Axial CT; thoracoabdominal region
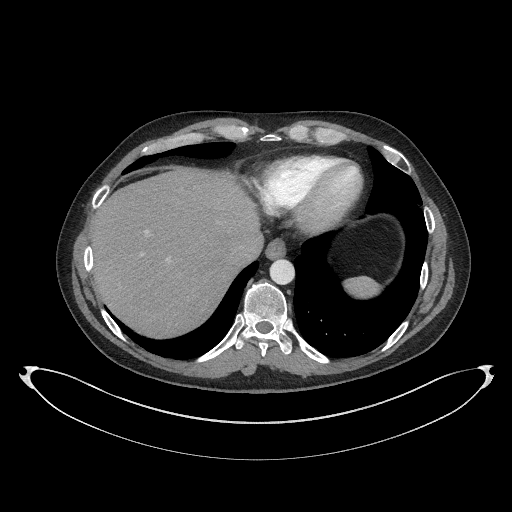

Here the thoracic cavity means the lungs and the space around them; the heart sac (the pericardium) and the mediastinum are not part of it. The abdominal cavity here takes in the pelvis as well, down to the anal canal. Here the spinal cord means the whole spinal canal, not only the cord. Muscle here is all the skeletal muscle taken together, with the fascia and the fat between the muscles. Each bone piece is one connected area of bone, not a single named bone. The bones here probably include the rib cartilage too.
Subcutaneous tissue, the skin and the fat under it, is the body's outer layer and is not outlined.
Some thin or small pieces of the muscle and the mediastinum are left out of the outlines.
{"thoracic_cavity":[[[329,357],[363,354],[383,343],[405,318],[418,291],[427,241],[422,201],[410,176],[370,145],[374,183],[365,213],[387,211],[400,220],[406,234],[404,261],[381,295],[356,301],[343,292],[325,260],[335,232],[302,244],[294,260],[295,326],[308,343]],[[176,359],[196,357],[215,345],[225,335],[233,322],[234,314],[242,297],[243,290],[248,280],[257,269],[258,261],[256,260],[252,262],[238,274],[214,313],[201,326],[176,338],[154,340],[140,336],[118,320],[105,307],[122,331],[140,346],[150,352]],[[122,173],[142,167],[148,163],[155,161],[160,157],[169,155],[181,155],[186,157],[195,157],[200,159],[215,159],[225,157],[231,152],[235,146],[235,144],[233,142],[225,140],[206,141],[200,144],[178,147],[153,155],[139,157],[126,167]]],"bones":[{"outer":[[322,363],[328,363],[329,358],[302,338],[288,314],[284,294],[266,280],[248,282],[242,309],[226,335],[195,359],[196,362],[205,361],[231,345],[240,349],[251,337],[258,340],[262,356],[272,339],[283,353],[288,354],[292,349],[289,333],[303,352]],"hole":[[262,333],[265,333],[266,332],[267,332],[268,331],[269,331],[272,328],[272,326],[271,325],[271,324],[270,324],[268,322],[259,322],[258,323],[257,323],[257,324],[256,325],[256,328],[260,332],[261,332]]},[[320,145],[333,145],[334,144],[337,144],[342,141],[346,141],[348,139],[347,135],[341,131],[338,131],[332,128],[327,128],[321,126],[317,126],[312,128],[306,125],[299,124],[290,127],[286,133],[287,137],[291,140],[294,140],[299,142],[311,142]],[[140,156],[153,154],[157,152],[160,152],[178,146],[200,143],[206,139],[208,139],[209,138],[209,135],[207,133],[201,132],[200,131],[192,131],[177,136],[169,137],[166,139],[144,146],[140,151]],[[231,141],[244,141],[248,139],[249,138],[249,135],[251,133],[251,131],[248,127],[246,126],[239,126],[234,124],[229,124],[228,125],[218,124],[217,125],[215,125],[211,128],[210,130],[212,133],[214,133],[218,136],[226,140],[230,140]],[[409,175],[411,174],[411,171],[412,169],[411,168],[410,163],[406,158],[406,157],[401,152],[400,152],[397,149],[394,148],[392,146],[388,144],[383,144],[381,146],[379,150],[384,156],[384,157],[394,166],[397,167],[399,169],[400,169],[402,171]],[[380,351],[384,351],[390,346],[391,346],[399,339],[399,338],[402,335],[402,334],[406,330],[406,329],[409,324],[409,321],[407,319],[405,319],[399,325],[399,326],[389,336],[389,337],[386,340],[386,341],[382,345],[382,346],[380,349]],[[124,341],[127,341],[126,336],[121,331],[121,330],[119,328],[117,324],[110,316],[110,315],[106,311],[106,310],[103,307],[101,308],[100,309],[100,313],[103,319],[105,321],[106,324],[108,326],[108,327],[119,338],[120,338]],[[94,209],[97,208],[101,204],[101,203],[103,201],[103,200],[105,198],[105,197],[110,191],[109,190],[109,187],[110,186],[108,184],[104,184],[103,185],[102,185],[99,188],[98,188],[94,193],[94,194],[93,195],[93,197],[92,198],[92,207]],[[428,234],[430,234],[432,233],[434,229],[434,226],[435,225],[435,221],[434,220],[434,217],[433,216],[432,211],[430,209],[430,208],[427,205],[424,205],[423,206],[423,214],[424,215],[424,218],[425,219],[425,223],[426,224],[426,228],[427,229]],[[419,291],[421,291],[424,288],[424,287],[425,286],[425,285],[427,282],[427,279],[428,278],[428,266],[427,265],[427,261],[426,260],[424,260],[424,261],[423,262],[423,264],[422,265],[422,267],[421,268],[421,272],[420,273],[420,277],[419,278]],[[87,271],[90,271],[91,270],[91,269],[92,268],[92,266],[93,265],[93,258],[92,257],[92,252],[91,251],[91,247],[89,245],[87,245],[85,247],[85,248],[84,249],[84,253],[83,254],[83,260],[84,261],[84,265],[85,266],[85,268]],[[262,141],[278,141],[279,140],[281,140],[282,139],[282,137],[280,135],[278,135],[277,134],[275,134],[274,133],[267,133],[266,134],[265,134],[264,135],[263,135],[262,136],[261,136],[259,138],[259,140],[261,140]]],"abdominal_cavity":[[[154,339],[176,337],[201,325],[213,313],[237,274],[252,261],[257,260],[265,247],[262,214],[250,192],[238,180],[234,170],[235,161],[217,167],[148,165],[126,172],[113,181],[111,191],[96,209],[90,244],[94,258],[92,272],[104,307],[136,333]],[[356,300],[368,300],[377,297],[393,281],[401,267],[405,250],[405,234],[399,220],[395,216],[387,212],[363,214],[358,218],[355,218],[348,223],[344,224],[335,231],[336,234],[332,239],[330,247],[328,249],[326,256],[328,264],[340,281],[344,292]]],"mediastinum":[[[294,323],[292,297],[295,270],[293,260],[299,253],[301,244],[306,239],[298,239],[280,233],[268,225],[263,216],[262,225],[266,236],[266,247],[258,260],[259,266],[256,273],[249,280],[255,282],[266,279],[279,287],[287,298],[290,308],[289,314]],[[196,166],[223,165],[256,151],[278,146],[296,144],[316,144],[299,143],[290,140],[282,140],[278,142],[262,142],[257,140],[234,142],[236,146],[232,152],[225,158],[215,160],[200,160],[181,156],[169,156],[160,158],[155,162],[148,164],[189,164]],[[353,218],[358,217],[364,213],[364,208],[373,183],[373,173],[370,159],[367,154],[366,145],[357,142],[349,141],[348,142],[342,142],[337,145],[332,146],[345,149],[353,155],[358,157],[364,164],[364,166],[366,168],[366,171],[368,173],[368,192]]],"muscle":[[[209,378],[251,375],[259,365],[302,376],[354,370],[389,355],[444,308],[455,285],[452,258],[447,256],[448,235],[439,209],[411,163],[411,177],[423,205],[431,208],[436,221],[433,233],[428,235],[425,254],[428,282],[418,292],[406,317],[410,324],[396,343],[384,352],[379,351],[381,345],[363,355],[330,358],[328,364],[309,358],[289,334],[293,349],[288,355],[272,340],[262,357],[257,340],[251,338],[240,350],[231,346],[201,363],[196,363],[195,358],[164,358],[127,336],[127,342],[119,339],[99,313],[103,305],[92,273],[85,270],[82,260],[83,249],[90,243],[95,214],[91,198],[102,184],[110,185],[139,156],[144,145],[192,130],[207,132],[210,138],[206,140],[220,140],[209,130],[218,123],[248,126],[252,131],[249,139],[258,140],[267,132],[288,139],[287,129],[300,123],[332,127],[345,132],[347,141],[378,149],[386,143],[316,119],[302,119],[267,130],[235,117],[216,117],[139,144],[108,172],[84,206],[83,225],[73,245],[71,278],[78,307],[94,328],[136,358],[167,371]]],"torso":[[[251,394],[328,387],[400,365],[427,351],[445,333],[462,304],[469,282],[471,253],[456,204],[416,145],[402,131],[380,118],[348,110],[201,109],[167,114],[128,134],[85,179],[67,211],[56,245],[57,280],[71,315],[100,352],[125,369],[165,383]]],"spinal_cord":[[[262,333],[265,333],[266,332],[267,332],[268,331],[269,331],[272,328],[272,326],[271,325],[271,324],[270,324],[268,322],[259,322],[258,323],[257,323],[257,324],[256,325],[256,328],[260,332],[261,332]]],"pericardium":[[[298,238],[312,237],[336,229],[344,223],[348,222],[352,218],[367,192],[367,173],[365,171],[363,164],[358,158],[345,150],[331,146],[296,145],[278,147],[269,150],[262,150],[236,161],[235,170],[238,178],[241,183],[253,195],[267,223],[286,235]]]}